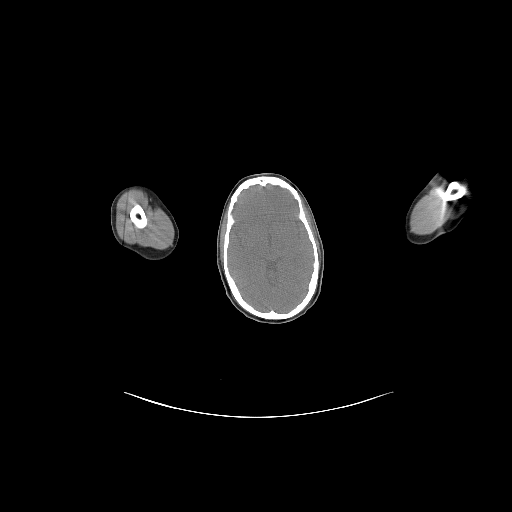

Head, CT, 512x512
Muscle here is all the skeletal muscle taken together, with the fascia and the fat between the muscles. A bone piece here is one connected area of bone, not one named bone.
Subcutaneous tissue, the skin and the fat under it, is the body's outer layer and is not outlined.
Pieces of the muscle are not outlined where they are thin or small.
The head is outlined by (262, 172) (282, 174) (289, 178) (301, 190) (311, 208) (323, 244) (323, 279) (321, 293) (317, 301) (304, 315) (293, 321) (281, 324) (262, 324) (245, 317) (239, 312) (230, 303) (225, 294) (216, 262) (216, 239) (218, 226) (223, 206) (228, 194) (240, 178) (246, 175). The right arm is outlined by (133, 184) (145, 185) (152, 189) (171, 212) (178, 226) (179, 229) (179, 239) (177, 245) (174, 250) (167, 257) (163, 259) (160, 260) (147, 260) (144, 259) (134, 252) (130, 251) (118, 244) (112, 234) (110, 225) (110, 207) (111, 203) (114, 197) (120, 190) (129, 185). The muscle appears in 3 outlined pieces: piece 1: (131, 189) (140, 189) (144, 191) (157, 203) (157, 205) (161, 208) (169, 217) (174, 228) (174, 240) (173, 241) (173, 244) (168, 248) (164, 250) (156, 250) (150, 247) (142, 247) (136, 244) (127, 244) (119, 238) (115, 227) (116, 204) (119, 198) (123, 194) (123, 193), around a hole outlined by (136, 204) (139, 204) (142, 207) (142, 208) (144, 211) (144, 213) (146, 216) (146, 218) (147, 219) (147, 224) (143, 228) (138, 228) (137, 227) (136, 227) (136, 226) (130, 219) (130, 215) (129, 214) (129, 212) (132, 208) (132, 207); piece 2: (441, 176) (445, 177) (454, 176) (461, 179) (466, 179) (470, 184) (472, 191) (472, 197) (466, 208) (455, 218) (446, 222) (441, 228) (437, 229) (431, 234) (427, 234) (426, 235) (413, 234) (409, 231) (409, 218) (411, 211) (417, 201) (427, 192) (431, 183) (437, 177), around a hole outlined by (452, 180) (453, 181) (458, 182) (464, 185) (467, 189) (467, 192) (461, 198) (459, 198) (456, 200) (452, 200) (451, 201) (448, 201) (446, 197) (446, 195) (445, 194) (445, 191) (446, 190) (446, 187) (447, 185) (449, 183) (449, 182) (450, 182); piece 3: (303, 202) (306, 207) (306, 209) (308, 211) (308, 213) (310, 215) (312, 225) (314, 228) (314, 231) (318, 241) (319, 252) (320, 253) (320, 261) (319, 260) (319, 253) (318, 252) (317, 242) (315, 239) (315, 236) (312, 230) (312, 228) (306, 217) (306, 212) (304, 209). The left arm is outlined by (448, 165) (459, 165) (469, 168) (471, 170) (483, 175) (485, 182) (467, 213) (463, 217) (459, 224) (452, 231) (439, 236) (435, 240) (429, 243) (420, 245) (411, 243) (408, 241) (405, 236) (405, 232) (404, 231) (405, 214) (414, 197) (426, 184) (430, 178) (441, 168). The bones appear in 3 outlined pieces: piece 1: (262, 175) (279, 177) (290, 184) (297, 191) (302, 200) (305, 217) (313, 233) (318, 253) (318, 281) (312, 297) (299, 312) (290, 317) (281, 319) (267, 319) (255, 315) (244, 309) (232, 295) (223, 269) (223, 243) (227, 224) (226, 212) (230, 198) (237, 187) (243, 181), around a hole outlined by (267, 185) (277, 186) (286, 190) (295, 200) (297, 217) (307, 234) (313, 257) (311, 264) (312, 269) (303, 297) (293, 307) (281, 312) (274, 309) (260, 310) (248, 302) (243, 297) (228, 265) (230, 234) (236, 221) (233, 214) (235, 204) (244, 190) (253, 186) (264, 187); piece 2: (452, 180) (453, 181) (458, 182) (464, 185) (467, 189) (467, 192) (461, 198) (459, 198) (456, 200) (452, 200) (451, 201) (448, 201) (446, 197) (446, 195) (445, 194) (445, 191) (446, 190) (446, 187) (447, 185) (449, 183) (449, 182) (450, 182); piece 3: (136, 204) (139, 204) (142, 207) (142, 208) (144, 211) (144, 213) (146, 216) (146, 218) (147, 219) (147, 224) (143, 228) (138, 228) (137, 227) (136, 227) (136, 226) (130, 219) (130, 215) (129, 214) (129, 212) (132, 208) (132, 207). The brain is outlined by (267, 185) (277, 186) (286, 190) (295, 200) (297, 217) (307, 234) (313, 257) (311, 264) (312, 269) (303, 297) (293, 307) (281, 312) (274, 309) (260, 310) (248, 302) (243, 297) (228, 265) (230, 234) (236, 221) (233, 214) (235, 204) (244, 190) (253, 186) (264, 187).